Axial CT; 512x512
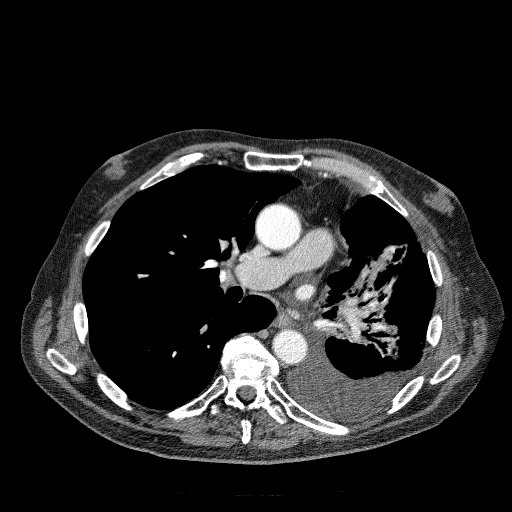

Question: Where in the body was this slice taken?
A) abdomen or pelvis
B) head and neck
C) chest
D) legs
Answer: C) chest
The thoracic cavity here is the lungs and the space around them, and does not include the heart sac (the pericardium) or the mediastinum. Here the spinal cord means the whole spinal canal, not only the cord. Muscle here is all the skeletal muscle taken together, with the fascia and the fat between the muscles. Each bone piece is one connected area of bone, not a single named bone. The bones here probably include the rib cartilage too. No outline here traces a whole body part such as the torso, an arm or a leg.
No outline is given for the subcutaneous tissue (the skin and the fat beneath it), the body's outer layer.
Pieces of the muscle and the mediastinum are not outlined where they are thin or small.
Outlines (x, y in pixels):
pericardium: [[277,201],[285,201],[296,206],[301,212],[304,220],[316,226],[328,229],[336,242],[336,252],[333,260],[330,263],[326,276],[320,283],[314,299],[306,306],[297,307],[278,297],[261,282],[247,261],[247,252],[252,245],[254,237],[256,217],[264,206]]
mediastinum 1: [[252,238],[246,252],[247,264],[260,282],[284,302],[297,308],[306,307],[315,299],[325,279],[328,287],[320,307],[304,326],[309,348],[306,358],[283,373],[270,351],[247,333],[263,329],[276,314],[275,306],[268,299],[248,293],[236,283],[234,268]]
mediastinum 2: [[298,170],[328,172],[348,178],[365,189],[363,195],[357,198],[339,220],[339,230],[345,240],[349,260],[346,265],[327,276],[337,252],[337,242],[330,230],[304,219],[296,205],[285,200],[275,201],[279,196],[299,186],[300,180],[268,171],[248,171]]
bones 1: [[242,333],[257,339],[275,358],[281,385],[297,403],[352,430],[345,435],[326,434],[291,418],[281,424],[261,407],[242,412],[226,405],[221,397],[215,400],[219,412],[214,415],[207,409],[179,420],[167,417],[168,411],[210,386],[221,371],[225,344]], around a hole outlined by [[243,386],[249,386],[250,387],[252,387],[255,390],[255,395],[254,396],[254,397],[252,399],[251,399],[250,400],[243,400],[242,399],[241,399],[240,398],[240,397],[238,395],[238,390],[241,387],[242,387]]
bones 2: [[249,150],[271,153],[299,153],[306,157],[326,156],[345,160],[367,170],[377,177],[405,208],[408,213],[408,217],[405,218],[381,198],[368,193],[358,182],[328,171],[313,170],[304,167],[294,171],[248,170],[243,165],[242,155],[245,151]]
bones 3: [[193,152],[203,152],[205,153],[206,156],[201,160],[194,164],[192,164],[184,170],[172,176],[163,179],[149,187],[147,187],[142,190],[138,190],[139,186],[144,181],[153,175],[167,162],[171,161],[182,155],[188,153],[192,153]]
bones 4: [[99,371],[101,371],[103,372],[115,384],[116,384],[124,392],[125,392],[128,398],[131,401],[134,402],[133,404],[133,409],[132,410],[126,410],[120,407],[118,405],[114,403],[100,389],[100,388],[98,386],[96,382],[96,373]]
bones 5: [[420,374],[423,374],[424,375],[424,382],[422,386],[420,388],[420,389],[417,392],[417,393],[406,404],[405,404],[401,408],[393,412],[391,414],[387,414],[386,413],[386,409],[390,406],[391,404],[391,400],[392,398],[411,379],[412,379],[414,377]]
bones 6: [[76,301],[83,301],[84,305],[85,306],[86,316],[87,317],[87,327],[88,328],[88,333],[87,334],[87,337],[86,338],[86,343],[83,345],[81,344],[78,338],[77,332],[76,331],[75,325],[74,324],[74,321],[73,320],[73,307]]
bones 7: [[456,353],[459,353],[461,356],[461,360],[457,368],[448,377],[447,377],[442,381],[436,384],[431,384],[429,382],[429,379],[433,375],[433,374],[436,371],[436,370],[446,359],[447,359],[451,355],[453,354],[455,354]]
bones 8: [[49,347],[52,347],[58,350],[62,354],[63,354],[63,355],[70,362],[74,364],[76,366],[76,372],[72,375],[69,375],[68,374],[66,374],[62,372],[60,370],[56,368],[50,362],[50,361],[47,358],[46,356],[46,349]]
bones 9: [[107,219],[110,219],[110,223],[105,234],[103,236],[102,239],[97,245],[96,248],[93,251],[91,255],[88,258],[87,257],[85,257],[84,255],[84,248],[90,234],[93,231],[94,228],[100,222],[101,222],[103,220],[106,220]]
bones 10: [[435,313],[438,313],[441,316],[441,319],[442,320],[442,322],[441,323],[441,333],[439,337],[439,340],[437,344],[434,347],[432,347],[426,342],[426,334],[427,333],[427,330],[428,329],[428,325],[429,324],[430,319],[432,315]]
bones 11: [[428,249],[432,250],[435,253],[437,257],[440,268],[441,269],[442,283],[439,287],[436,286],[434,284],[434,282],[432,279],[432,277],[430,273],[430,270],[429,269],[429,266],[428,265],[428,261],[427,260],[427,257],[426,256],[426,251]]
bones 12: [[244,417],[247,417],[250,420],[250,422],[251,423],[251,428],[250,429],[250,432],[251,433],[251,437],[250,438],[250,440],[246,444],[244,444],[243,443],[242,443],[242,442],[241,441],[241,436],[242,435],[242,427],[241,426],[241,419]]
thoracic cavity 1: [[212,160],[300,182],[259,210],[253,235],[233,268],[235,283],[248,294],[268,300],[275,314],[263,328],[242,332],[224,344],[220,371],[199,395],[167,411],[145,407],[129,398],[104,372],[92,352],[82,292],[84,271],[112,218],[130,197],[198,162]]
thoracic cavity 2: [[366,192],[389,205],[412,228],[425,253],[435,286],[435,300],[425,334],[426,344],[413,368],[413,377],[390,403],[375,413],[340,423],[321,417],[297,402],[279,377],[303,362],[309,354],[305,326],[326,297],[327,277],[350,260],[340,230],[341,217]]
muscle: [[222,141],[265,151],[245,150],[241,155],[245,169],[224,159],[200,161],[207,156],[203,151],[182,154],[144,180],[111,219],[100,221],[87,238],[82,300],[74,302],[72,320],[80,344],[85,345],[87,338],[103,371],[95,373],[99,389],[126,411],[132,411],[136,403],[165,411],[174,421],[207,410],[214,416],[220,412],[216,400],[221,398],[226,406],[242,413],[261,408],[281,425],[291,419],[332,436],[349,434],[353,429],[344,424],[371,416],[388,404],[385,413],[391,415],[418,393],[425,375],[414,376],[414,368],[426,345],[434,348],[442,333],[442,316],[433,313],[436,287],[443,283],[438,257],[430,248],[423,250],[406,219],[408,211],[377,176],[345,159],[289,152],[321,147],[371,165],[427,217],[457,277],[460,315],[469,321],[479,315],[486,319],[487,345],[480,360],[433,410],[361,440],[301,442],[279,450],[248,447],[252,423],[244,416],[240,419],[244,445],[193,445],[104,417],[37,365],[31,345],[33,325],[49,295],[55,310],[60,304],[78,245],[100,217],[99,209],[173,151]], around holes outlined by [[456,353],[459,353],[461,356],[461,360],[457,368],[448,377],[447,377],[442,381],[436,384],[431,384],[429,382],[429,379],[433,375],[433,374],[436,371],[436,370],[446,359],[447,359],[451,355],[453,354],[455,354]] and by [[49,347],[52,347],[58,350],[62,354],[63,354],[63,355],[70,362],[74,364],[76,366],[76,372],[72,375],[69,375],[68,374],[66,374],[62,372],[60,370],[56,368],[50,362],[50,361],[47,358],[46,356],[46,349]]
spinal cord: [[243,386],[249,386],[250,387],[252,387],[255,390],[255,395],[254,396],[254,397],[252,399],[251,399],[250,400],[243,400],[242,399],[241,399],[240,398],[240,397],[238,395],[238,390],[241,387],[242,387]]